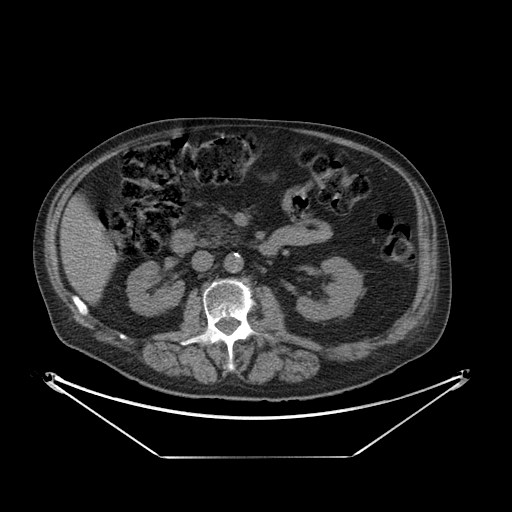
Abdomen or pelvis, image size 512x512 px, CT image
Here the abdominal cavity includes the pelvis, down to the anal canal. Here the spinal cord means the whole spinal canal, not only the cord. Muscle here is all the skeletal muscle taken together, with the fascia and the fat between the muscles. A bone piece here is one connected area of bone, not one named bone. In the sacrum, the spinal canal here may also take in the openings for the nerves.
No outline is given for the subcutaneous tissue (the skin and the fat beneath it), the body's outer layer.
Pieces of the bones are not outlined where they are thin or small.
The abdominal cavity is outlined by [[220,127],[319,137],[369,154],[405,180],[416,209],[417,281],[411,305],[389,327],[371,337],[323,345],[287,330],[269,286],[252,288],[224,277],[201,295],[196,287],[189,292],[179,329],[139,338],[100,321],[65,287],[57,229],[82,179],[143,141]]. The torso is outlined by [[202,116],[302,120],[336,125],[379,138],[405,155],[432,189],[449,238],[451,307],[438,342],[421,357],[364,386],[324,397],[277,402],[191,398],[164,393],[129,379],[61,342],[51,326],[32,262],[33,229],[45,194],[75,160],[125,129],[159,119]]. The bones appear in 2 outlined pieces: piece 1: [[224,278],[242,280],[252,289],[252,297],[256,303],[247,315],[248,322],[255,331],[273,337],[250,335],[246,339],[237,340],[232,348],[234,365],[232,371],[224,367],[228,363],[228,351],[222,341],[180,344],[181,341],[206,329],[203,292],[213,281]] with a hole at [[224,318],[233,318],[234,319],[235,319],[236,320],[237,320],[239,322],[239,324],[237,326],[237,327],[231,333],[230,333],[229,334],[227,334],[226,333],[225,333],[224,332],[223,332],[221,330],[220,330],[216,326],[216,324],[221,319],[223,319]]; piece 2: [[73,294],[74,295],[76,295],[87,306],[87,308],[88,309],[88,312],[87,313],[87,314],[86,314],[85,315],[83,315],[82,314],[81,314],[79,312],[79,311],[78,310],[77,307],[75,305],[75,304],[74,303],[74,302],[72,299],[72,295]]. The spinal cord is outlined by [[224,318],[233,318],[234,319],[235,319],[236,320],[237,320],[239,322],[239,324],[237,326],[237,327],[231,333],[230,333],[229,334],[227,334],[226,333],[225,333],[224,332],[223,332],[221,330],[220,330],[216,326],[216,324],[221,319],[223,319]]. The muscle is outlined by [[216,124],[276,125],[286,128],[300,128],[307,130],[313,130],[327,133],[334,136],[338,136],[357,142],[381,153],[400,166],[419,184],[430,203],[436,223],[436,232],[437,233],[436,237],[437,238],[437,288],[435,299],[432,302],[429,310],[423,317],[423,320],[417,326],[414,327],[407,334],[405,338],[399,340],[396,343],[393,344],[387,344],[380,346],[373,353],[361,359],[357,359],[353,361],[322,360],[320,363],[320,367],[315,375],[310,378],[304,379],[298,382],[286,382],[283,380],[279,380],[274,378],[263,384],[258,385],[257,384],[246,383],[241,380],[235,374],[230,373],[222,381],[205,384],[197,381],[191,376],[168,376],[161,372],[158,372],[140,361],[132,353],[125,351],[114,345],[97,340],[91,335],[91,332],[88,328],[81,325],[73,319],[69,308],[65,305],[54,290],[49,279],[49,276],[45,265],[44,240],[45,239],[46,219],[52,200],[59,188],[80,167],[86,163],[94,161],[107,151],[111,150],[122,143],[144,135],[168,130],[176,127],[187,128],[199,125],[215,125]], around a hole outlined by [[220,127],[319,137],[405,180],[417,281],[389,327],[323,345],[288,331],[279,301],[260,284],[247,319],[273,338],[237,340],[230,371],[222,341],[180,344],[207,326],[196,287],[179,329],[147,337],[122,339],[79,312],[56,243],[74,189],[130,146]].